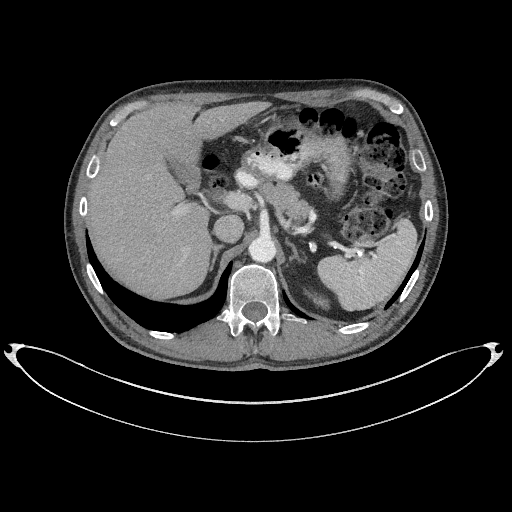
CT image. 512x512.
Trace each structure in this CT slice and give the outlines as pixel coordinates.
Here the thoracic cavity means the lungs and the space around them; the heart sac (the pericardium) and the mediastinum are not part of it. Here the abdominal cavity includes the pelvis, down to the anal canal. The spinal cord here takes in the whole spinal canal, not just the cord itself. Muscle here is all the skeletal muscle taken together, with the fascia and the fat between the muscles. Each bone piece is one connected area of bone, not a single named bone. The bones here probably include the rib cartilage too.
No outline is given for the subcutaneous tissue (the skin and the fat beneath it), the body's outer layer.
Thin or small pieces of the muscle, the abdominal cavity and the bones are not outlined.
thoracic cavity 1: 171 332; 179 332; 189 329; 213 317; 221 310; 226 302; 227 282; 232 263; 230 262; 228 264; 220 278; 216 291; 207 300; 186 306; 153 302; 130 292; 109 277; 97 261; 86 234; 85 239; 89 260; 111 299; 123 311; 148 329
thoracic cavity 2: 384 308; 387 308; 396 299; 397 299; 400 292; 402 290; 411 273; 417 266; 422 253; 422 250; 424 245; 424 239; 420 244; 414 262; 412 264; 412 266; 406 275; 406 277; 394 295; 392 296; 392 297; 387 302
thoracic cavity 3: 307 319; 309 318; 311 318; 310 318; 308 316; 307 316; 305 314; 304 314; 302 312; 298 310; 289 301; 286 295; 284 293; 283 293; 282 295; 283 296; 283 299; 286 305; 290 309; 290 310; 298 316; 301 316
mediastinum: 231 273; 232 272; 233 271; 234 270; 235 269; 236 268; 237 268; 236 268; 235 267; 234 266; 233 265; 233 266; 233 267; 233 268; 232 269; 232 270; 231 271; 231 272
muscle 1: 194 361; 235 361; 257 355; 274 360; 334 356; 361 347; 384 334; 411 307; 425 281; 438 227; 439 209; 429 154; 416 122; 399 99; 387 94; 403 105; 404 112; 399 115; 408 124; 413 136; 412 148; 418 147; 424 154; 427 165; 427 170; 423 172; 426 198; 432 202; 434 216; 430 222; 424 220; 425 245; 418 265; 420 274; 408 296; 401 303; 396 300; 368 320; 370 325; 366 329; 350 335; 336 331; 342 324; 318 319; 309 319; 304 324; 282 318; 279 332; 274 337; 264 326; 255 333; 246 326; 239 336; 233 337; 228 325; 214 317; 189 330; 175 333; 171 340; 160 340; 150 336; 146 328; 123 312; 107 295; 101 295; 93 287; 85 270; 85 263; 88 261; 84 239; 85 217; 78 213; 78 202; 82 195; 87 197; 91 179; 85 176; 85 168; 89 158; 93 153; 99 156; 101 154; 105 141; 115 128; 108 124; 109 120; 129 102; 119 105; 105 118; 83 160; 73 200; 73 233; 84 281; 103 314; 125 335; 156 352
muscle 2: 144 105; 151 102; 174 98; 210 103; 247 96; 273 96; 314 105; 327 105; 360 97; 356 97; 351 93; 353 90; 358 88; 370 88; 380 91; 364 86; 275 93; 180 91; 177 93; 157 93; 133 98; 130 101; 144 99; 146 101
muscle 3: 281 313; 282 313; 283 312; 291 312; 289 310; 289 309; 285 305; 285 304; 284 303; 284 302; 282 299; 282 296; 281 295; 282 294; 282 291; 281 290; 281 289; 280 289; 280 302; 281 303; 281 305; 280 306; 280 311; 281 312
abdominal cavity: 343 325; 383 309; 423 239; 423 175; 398 115; 371 98; 327 106; 273 97; 210 104; 174 99; 134 110; 116 126; 90 184; 86 215; 96 257; 114 281; 147 299; 186 305; 207 299; 230 261; 236 267; 255 262; 275 273; 298 309
bones 1: 233 336; 239 335; 246 325; 255 332; 264 325; 271 335; 274 336; 278 332; 282 317; 306 322; 306 319; 298 317; 293 313; 280 313; 279 289; 276 277; 270 269; 262 265; 255 263; 243 265; 229 277; 227 306; 215 318; 226 322, around a hole outlined by 253 321; 256 321; 257 320; 262 318; 266 314; 266 308; 265 307; 265 306; 263 304; 262 304; 259 302; 251 302; 250 303; 248 303; 246 305; 245 305; 245 306; 242 310; 242 312; 243 313; 243 314; 247 318; 248 318
bones 2: 397 114; 401 114; 403 112; 403 107; 402 105; 400 103; 393 100; 388 95; 384 93; 378 92; 370 89; 358 89; 353 91; 352 93; 356 96; 360 96; 361 97; 371 97; 372 98; 379 99; 385 103; 386 106; 390 111
bones 3: 111 126; 115 126; 117 125; 119 122; 127 115; 128 113; 134 109; 136 109; 143 105; 145 103; 145 101; 144 100; 138 100; 137 101; 134 101; 133 102; 130 102; 128 103; 121 110; 120 110; 113 118; 110 120; 109 124
bones 4: 344 334; 350 334; 351 333; 355 333; 356 332; 358 332; 366 328; 369 325; 369 321; 363 321; 362 322; 357 322; 356 323; 353 323; 352 324; 349 324; 348 325; 345 325; 344 326; 340 327; 337 330; 337 331; 340 333; 343 333
bones 5: 399 302; 401 302; 407 296; 407 295; 411 290; 413 285; 415 283; 418 277; 418 275; 419 274; 419 268; 418 266; 412 273; 407 283; 405 285; 403 290; 401 292; 398 298; 398 300
bones 6: 422 172; 426 170; 426 165; 425 164; 425 161; 423 157; 423 154; 420 150; 420 149; 418 148; 414 148; 412 149; 411 151; 411 157; 412 158; 412 160; 413 161; 413 163; 415 167; 418 170
bones 7: 101 294; 106 294; 106 293; 104 291; 104 290; 103 289; 103 288; 102 287; 102 286; 101 285; 101 284; 100 283; 91 264; 89 262; 89 261; 86 263; 86 270; 87 271; 87 274; 88 275; 91 282; 93 284; 94 287
bones 8: 89 178; 92 178; 93 177; 94 177; 97 173; 97 172; 99 169; 99 166; 100 165; 100 159; 99 158; 99 157; 96 154; 93 154; 92 155; 92 156; 90 158; 90 160; 89 161; 89 162; 87 165; 87 167; 86 168; 86 176
bones 9: 160 339; 171 339; 174 336; 174 333; 171 333; 170 332; 166 332; 165 331; 158 331; 157 330; 149 330; 148 331; 148 332; 149 333; 149 334; 150 335; 151 335; 152 336; 153 336; 154 337; 155 337; 156 338; 159 338
bones 10: 426 221; 430 221; 432 219; 432 217; 433 216; 433 211; 432 210; 432 205; 431 204; 431 202; 430 201; 430 200; 429 200; 428 199; 426 199; 426 200; 425 201; 425 202; 424 203; 424 218; 425 219; 425 220
spinal cord: 253 321; 256 321; 257 320; 262 318; 266 314; 266 308; 265 307; 265 306; 263 304; 262 304; 259 302; 251 302; 250 303; 248 303; 246 305; 245 305; 245 306; 242 310; 242 312; 243 313; 243 314; 247 318; 248 318
torso: 216 371; 298 370; 356 358; 392 339; 420 308; 443 256; 448 201; 443 173; 425 127; 411 102; 396 89; 375 80; 354 77; 173 80; 146 85; 120 96; 94 123; 73 164; 64 198; 63 231; 73 277; 101 325; 127 349; 170 364